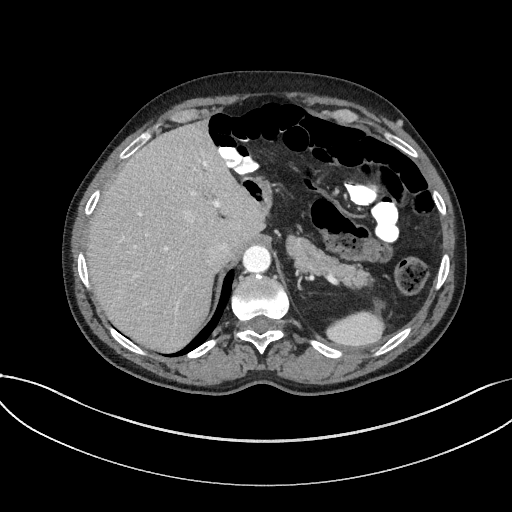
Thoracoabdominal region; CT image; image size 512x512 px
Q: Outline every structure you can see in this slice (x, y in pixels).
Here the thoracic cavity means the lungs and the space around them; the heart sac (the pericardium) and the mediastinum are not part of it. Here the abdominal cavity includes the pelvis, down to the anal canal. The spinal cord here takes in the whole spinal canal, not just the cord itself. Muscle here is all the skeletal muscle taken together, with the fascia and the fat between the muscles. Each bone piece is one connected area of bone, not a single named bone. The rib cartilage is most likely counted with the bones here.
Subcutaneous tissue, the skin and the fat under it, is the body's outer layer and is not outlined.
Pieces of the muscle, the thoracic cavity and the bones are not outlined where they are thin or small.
A: {"muscle":[{"outer":[[195,385],[213,385],[217,384],[226,380],[231,380],[239,377],[242,377],[250,370],[270,370],[275,371],[281,377],[306,384],[327,384],[328,383],[340,382],[366,374],[387,364],[404,351],[417,343],[436,325],[447,308],[451,300],[454,290],[455,234],[454,233],[453,208],[448,192],[441,178],[428,157],[410,135],[395,122],[381,115],[378,116],[362,105],[353,101],[340,99],[336,97],[330,97],[325,95],[318,95],[309,92],[302,92],[301,91],[284,91],[283,92],[261,91],[251,93],[250,92],[249,93],[236,93],[229,95],[227,94],[226,95],[197,97],[185,100],[180,103],[177,103],[171,106],[169,109],[162,113],[155,120],[150,120],[146,122],[135,131],[128,135],[113,150],[87,187],[79,203],[77,209],[77,215],[75,218],[72,228],[72,233],[71,234],[71,256],[72,257],[72,270],[74,276],[74,291],[77,300],[77,304],[81,313],[92,331],[101,340],[111,347],[117,353],[134,363],[160,376],[165,377],[168,379],[175,380],[178,382],[187,384],[194,384]],"hole":[[188,358],[216,344],[215,328],[228,305],[240,323],[234,335],[261,354],[284,336],[281,319],[289,309],[318,338],[309,343],[328,357],[376,347],[373,355],[378,356],[400,343],[411,330],[403,327],[422,306],[435,277],[437,290],[449,270],[449,256],[441,253],[439,220],[446,214],[445,203],[411,158],[417,152],[387,130],[382,135],[356,124],[354,111],[338,109],[332,117],[299,101],[269,95],[199,118],[194,109],[177,111],[169,117],[177,125],[152,137],[161,125],[157,122],[133,139],[119,154],[124,161],[105,190],[101,195],[95,190],[86,203],[84,212],[90,219],[85,253],[77,258],[79,277],[92,288],[111,324],[111,335],[124,347],[141,355],[150,351]]}],"torso":[[[205,395],[256,384],[296,395],[353,389],[415,363],[451,323],[467,273],[461,208],[430,147],[405,115],[374,90],[332,75],[291,70],[222,71],[184,81],[150,99],[127,120],[74,192],[64,221],[61,264],[66,299],[79,329],[115,367],[159,386]]],"abdominal_cavity":[[[160,354],[181,349],[205,326],[225,274],[241,250],[260,239],[270,243],[289,309],[308,331],[340,348],[386,341],[422,306],[442,254],[439,213],[413,160],[368,125],[269,95],[152,137],[122,162],[100,196],[88,222],[85,256],[92,291],[108,321]]],"mediastinum":[[[232,289],[234,285],[241,277],[252,273],[260,273],[266,276],[272,277],[279,282],[282,282],[283,281],[283,279],[278,274],[271,253],[269,243],[266,240],[260,240],[249,244],[242,250],[237,259],[237,262],[233,268],[234,269],[234,279],[232,284]]],"thoracic_cavity":[[[165,356],[177,356],[185,354],[209,338],[212,331],[217,326],[221,319],[225,308],[229,305],[229,297],[231,293],[231,284],[233,279],[233,270],[230,270],[224,278],[220,299],[216,308],[216,311],[210,321],[184,348],[171,354],[164,354],[162,355]],[[347,351],[367,351],[370,349],[373,349],[379,346],[377,346],[376,347],[370,347],[369,348],[364,348],[363,349],[340,349],[337,347],[333,346],[321,338],[316,336],[316,337],[318,338],[316,339],[330,346],[335,347],[341,350],[346,350]]],"bones":[{"outer":[[261,354],[270,342],[284,336],[285,333],[281,325],[281,319],[288,311],[289,301],[287,294],[280,283],[272,278],[260,274],[252,274],[241,278],[235,285],[230,297],[230,307],[233,314],[240,323],[240,327],[234,332],[234,335],[242,340],[251,342]],"hole":[[258,333],[262,333],[263,332],[266,331],[268,329],[270,329],[273,325],[273,321],[271,319],[270,319],[265,316],[257,316],[256,317],[254,317],[252,319],[251,319],[249,321],[248,321],[248,327],[249,328],[254,330]]},[[120,159],[125,159],[132,153],[133,153],[141,145],[145,143],[151,137],[152,135],[152,132],[154,130],[157,129],[158,127],[160,125],[161,125],[161,122],[157,122],[155,123],[150,128],[142,132],[134,139],[133,139],[119,154],[119,158]],[[374,356],[378,356],[381,354],[383,354],[387,352],[389,350],[392,349],[394,347],[395,347],[409,334],[411,330],[411,327],[409,326],[408,327],[406,327],[402,329],[395,335],[394,335],[391,338],[390,338],[375,351],[374,351],[373,353],[373,355]],[[414,158],[416,158],[418,156],[418,154],[417,152],[407,142],[406,142],[398,136],[393,134],[391,132],[387,130],[384,131],[383,133],[383,135],[384,137],[391,144],[394,145],[396,147],[400,149],[404,153],[405,153],[410,157],[413,157]],[[141,355],[146,355],[147,354],[147,352],[146,351],[143,350],[140,347],[136,345],[125,336],[121,334],[111,325],[110,326],[108,326],[108,329],[111,335],[120,344],[121,344],[124,347],[127,348],[129,350],[133,352],[135,352],[138,354],[140,354]],[[333,358],[338,358],[342,355],[342,352],[340,350],[338,350],[335,348],[330,347],[329,346],[328,346],[327,345],[326,345],[315,339],[310,339],[309,340],[309,343],[316,350],[317,350],[320,353],[323,354],[325,356],[327,356],[328,357],[332,357]],[[188,358],[193,358],[194,357],[198,357],[202,354],[207,352],[216,344],[217,342],[217,339],[213,337],[216,334],[216,331],[215,329],[212,333],[213,335],[213,337],[212,338],[208,339],[202,344],[196,347],[194,349],[191,350],[186,354],[186,356]],[[437,290],[439,289],[443,284],[448,274],[448,271],[449,270],[449,256],[446,253],[444,253],[442,255],[442,257],[441,258],[441,261],[440,262],[440,265],[439,266],[439,269],[438,270],[438,273],[437,274],[437,281],[435,285],[435,289]],[[88,289],[90,288],[90,285],[89,284],[89,281],[87,276],[87,267],[85,263],[85,257],[84,256],[84,254],[82,252],[79,252],[78,257],[77,258],[77,268],[78,269],[78,273],[79,274],[79,277],[82,281],[83,284],[86,287],[86,288]],[[175,122],[181,122],[182,121],[185,121],[186,120],[189,120],[190,119],[195,118],[197,117],[197,114],[198,112],[194,109],[192,109],[191,110],[186,109],[185,110],[177,111],[170,115],[169,117],[169,119],[171,121],[174,121]],[[349,123],[355,123],[357,121],[357,120],[358,119],[358,114],[356,112],[355,112],[354,111],[351,111],[350,110],[348,110],[347,109],[338,109],[337,110],[335,110],[333,112],[333,114],[334,115],[334,116],[336,118],[337,118],[344,122],[348,122]],[[86,215],[89,215],[92,212],[92,211],[93,210],[93,209],[94,208],[94,207],[99,198],[99,195],[100,194],[100,190],[99,189],[97,189],[96,190],[95,190],[92,193],[92,194],[88,199],[88,200],[86,203],[85,208],[84,209],[84,212]],[[441,215],[445,215],[446,214],[446,207],[445,206],[445,203],[444,202],[444,201],[443,200],[441,195],[436,190],[433,190],[432,191],[432,193],[433,194],[433,199],[434,200],[434,202],[436,204],[436,205],[437,206],[438,211],[440,213],[440,214]]],"spinal_cord":[[[258,333],[262,333],[263,332],[266,331],[268,329],[270,329],[273,325],[273,321],[271,319],[270,319],[265,316],[257,316],[256,317],[254,317],[252,319],[251,319],[249,321],[248,321],[248,327],[249,328],[254,330]]]}